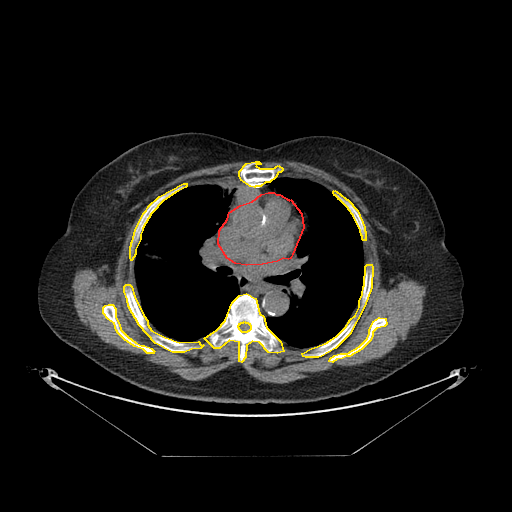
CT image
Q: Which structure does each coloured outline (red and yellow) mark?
A: red: pericardium; yellow: bones.
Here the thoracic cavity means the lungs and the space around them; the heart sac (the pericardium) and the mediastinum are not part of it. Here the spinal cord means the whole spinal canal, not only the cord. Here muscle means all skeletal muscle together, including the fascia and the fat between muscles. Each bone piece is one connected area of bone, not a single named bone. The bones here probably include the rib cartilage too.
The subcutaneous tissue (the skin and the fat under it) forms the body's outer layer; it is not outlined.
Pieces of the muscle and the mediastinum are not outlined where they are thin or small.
pericardium: (268, 192) (273, 192) (276, 194) (279, 194) (289, 200) (290, 199) (301, 213) (303, 227) (292, 254) (290, 258) (288, 259) (283, 258) (277, 261) (262, 264) (246, 265) (235, 263) (227, 258) (218, 244) (219, 230) (227, 219) (229, 212) (240, 205) (252, 201) (261, 194)
bones 1: (246, 293) (255, 298) (259, 313) (263, 316) (266, 327) (280, 341) (283, 351) (277, 353) (268, 352) (259, 342) (252, 341) (246, 345) (245, 357) (241, 362) (239, 361) (239, 342) (229, 340) (219, 348) (214, 348) (204, 338) (217, 329) (225, 320) (232, 302) (239, 295), around a hole outlined by (244, 321) (245, 322) (247, 322) (248, 323) (249, 323) (249, 324) (250, 325) (250, 329) (248, 331) (247, 331) (246, 332) (242, 332) (239, 329) (239, 328) (238, 327) (238, 325) (239, 324) (239, 323) (240, 323) (241, 322) (243, 322)
bones 2: (126, 284) (129, 284) (131, 286) (134, 296) (143, 315) (147, 320) (147, 324) (151, 330) (165, 337) (179, 342) (198, 341) (200, 344) (203, 345) (200, 348) (191, 349) (184, 352) (172, 352) (155, 343) (139, 325) (128, 306) (127, 299) (124, 291) (124, 286)
bones 3: (367, 264) (371, 264) (372, 267) (371, 287) (364, 306) (349, 334) (335, 348) (321, 356) (318, 357) (305, 357) (303, 356) (302, 353) (311, 348) (325, 343) (336, 336) (345, 327) (350, 319) (355, 315) (359, 307) (359, 301) (362, 294) (363, 286) (364, 285) (365, 266)
bones 4: (255, 161) (258, 161) (260, 163) (260, 164) (256, 164) (255, 165) (259, 168) (273, 168) (278, 165) (282, 168) (282, 170) (280, 172) (278, 172) (275, 177) (269, 182) (265, 182) (260, 186) (255, 186) (254, 187) (250, 186) (241, 180) (239, 175) (239, 171) (246, 163)
bones 5: (183, 183) (186, 183) (186, 186) (185, 187) (177, 191) (163, 200) (151, 213) (142, 228) (142, 230) (140, 234) (140, 239) (135, 249) (135, 254) (131, 260) (130, 258) (130, 246) (131, 245) (131, 242) (132, 241) (135, 230) (143, 213) (146, 210) (148, 206) (159, 196)
bones 6: (108, 304) (112, 304) (115, 308) (115, 317) (119, 324) (120, 329) (127, 336) (135, 342) (141, 345) (144, 345) (151, 348) (154, 351) (153, 353) (147, 353) (143, 349) (134, 346) (124, 339) (118, 333) (116, 330) (114, 323) (108, 319) (103, 313) (103, 307) (105, 305)
bones 7: (379, 317) (385, 318) (386, 324) (384, 326) (376, 328) (372, 332) (372, 335) (370, 340) (361, 349) (349, 356) (346, 356) (342, 358) (336, 359) (332, 362) (329, 361) (330, 358) (334, 355) (340, 353) (347, 353) (359, 346) (367, 338) (369, 333) (369, 330) (373, 321)
bones 8: (334, 190) (339, 193) (346, 199) (347, 199) (357, 210) (364, 227) (364, 230) (365, 231) (365, 240) (363, 240) (362, 239) (362, 236) (361, 235) (360, 230) (353, 215) (348, 209) (348, 208) (339, 199) (338, 199) (338, 198) (335, 195) (334, 195) (333, 193) (333, 191)
mediastinum 1: (303, 217) (305, 229) (290, 263) (290, 271) (281, 281) (287, 284) (289, 290) (289, 307) (281, 316) (265, 318) (260, 313) (255, 297) (247, 292) (240, 294) (238, 280) (230, 275) (232, 271) (226, 266) (219, 247) (228, 260) (239, 265) (262, 265) (288, 260) (304, 227)
mediastinum 2: (233, 182) (243, 182) (250, 187) (253, 187) (254, 188) (255, 187) (260, 187) (265, 183) (268, 183) (269, 184) (269, 188) (271, 190) (273, 190) (273, 191) (263, 192) (252, 200) (238, 205) (229, 211) (228, 213) (228, 209) (232, 198) (232, 194) (235, 191) (233, 185)
spinal cord: (244, 321) (245, 322) (247, 322) (248, 323) (249, 323) (249, 324) (250, 325) (250, 329) (248, 331) (247, 331) (246, 332) (242, 332) (239, 329) (239, 328) (238, 327) (238, 325) (239, 324) (239, 323) (240, 323) (241, 322) (243, 322)
muscle: (260, 160) (298, 161) (319, 168) (349, 187) (372, 209) (378, 220) (381, 284) (389, 289) (405, 276) (425, 286) (419, 322) (405, 341) (391, 354) (368, 362) (322, 371) (286, 383) (272, 383) (251, 376) (239, 363) (203, 379) (188, 380) (161, 365) (110, 346) (91, 333) (74, 307) (71, 280) (83, 266) (99, 269) (108, 281) (113, 280) (126, 233) (134, 221) (133, 207) (185, 173) (224, 163) (254, 161) (246, 162) (238, 171) (241, 181) (188, 186) (183, 182) (162, 193) (147, 206) (139, 218) (129, 246) (129, 258) (131, 261) (134, 256) (133, 276) (138, 301) (132, 286) (129, 283) (123, 286) (131, 314) (149, 338) (169, 352) (184, 353) (200, 349) (204, 345) (198, 340) (203, 338) (214, 349) (235, 341) (239, 343) (238, 361) (241, 363) (245, 360) (247, 345) (252, 342) (259, 343) (266, 352) (275, 354) (284, 351) (282, 342) (293, 348) (308, 349) (301, 353) (305, 358) (318, 358) (347, 338) (365, 306) (373, 280) (372, 264) (365, 265) (364, 261) (366, 231) (360, 214) (336, 190) (332, 192) (307, 178) (276, 177) (283, 168) (278, 164) (259, 167) (256, 165) (261, 164) with holes at (108, 304) (112, 304) (115, 308) (115, 317) (119, 324) (120, 329) (127, 336) (135, 342) (141, 345) (144, 345) (151, 348) (154, 351) (153, 353) (147, 353) (143, 349) (134, 346) (124, 339) (118, 333) (116, 330) (114, 323) (108, 319) (103, 313) (103, 307) (105, 305) and at (379, 317) (385, 318) (386, 324) (384, 326) (376, 328) (372, 332) (372, 335) (370, 340) (361, 349) (349, 356) (346, 356) (342, 358) (336, 359) (332, 362) (329, 361) (330, 358) (334, 355) (340, 353) (347, 353) (359, 346) (367, 338) (369, 333) (369, 330) (373, 321)
thoracic cavity 1: (231, 182) (234, 191) (231, 194) (227, 215) (215, 233) (215, 240) (225, 266) (231, 271) (229, 275) (237, 280) (239, 294) (231, 302) (224, 320) (206, 336) (192, 341) (179, 341) (165, 336) (148, 322) (138, 302) (134, 262) (143, 228) (163, 201) (184, 188) (194, 185)
thoracic cavity 2: (280, 177) (307, 179) (325, 187) (350, 212) (362, 240) (364, 275) (357, 306) (336, 335) (308, 348) (287, 345) (265, 323) (268, 317) (283, 316) (290, 307) (290, 290) (288, 284) (282, 281) (291, 271) (291, 263) (306, 229) (303, 214) (295, 203) (270, 188) (269, 183)
torso: (187, 131) (257, 148) (307, 135) (334, 135) (407, 166) (433, 194) (445, 226) (445, 245) (461, 267) (464, 313) (458, 328) (375, 384) (338, 397) (286, 404) (218, 403) (151, 392) (62, 341) (41, 318) (37, 284) (48, 250) (66, 229) (74, 197) (94, 172) (127, 149)